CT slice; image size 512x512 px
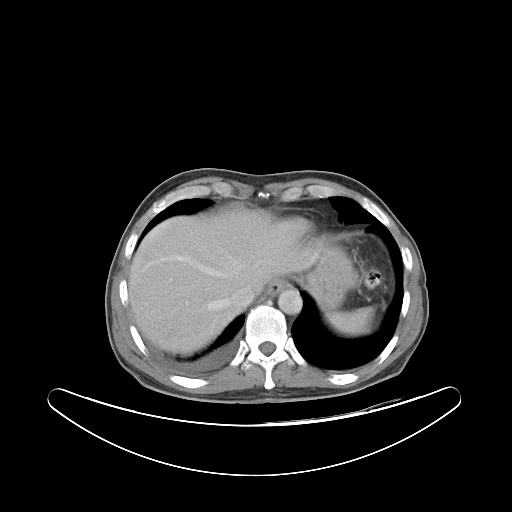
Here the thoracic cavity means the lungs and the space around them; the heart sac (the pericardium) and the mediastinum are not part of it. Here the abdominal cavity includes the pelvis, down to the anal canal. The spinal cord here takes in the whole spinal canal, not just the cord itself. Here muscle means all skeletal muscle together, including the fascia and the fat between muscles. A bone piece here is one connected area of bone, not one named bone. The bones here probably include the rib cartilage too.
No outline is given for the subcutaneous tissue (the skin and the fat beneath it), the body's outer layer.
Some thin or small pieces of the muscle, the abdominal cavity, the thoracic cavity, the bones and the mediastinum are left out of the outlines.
The muscle appears in 3 outlined pieces: piece 1: 147 210; 151 219; 140 234; 133 232; 126 241; 127 277; 118 283; 120 301; 128 307; 133 321; 128 328; 134 343; 144 355; 148 352; 176 374; 170 374; 168 378; 180 386; 193 389; 209 383; 203 377; 185 376; 203 376; 227 364; 230 367; 240 365; 242 370; 246 370; 254 363; 264 369; 264 388; 217 393; 186 392; 159 382; 128 363; 119 352; 112 331; 113 277; 125 239; piece 2: 381 208; 408 239; 417 257; 420 273; 419 285; 421 288; 422 296; 423 318; 415 339; 411 345; 388 366; 370 378; 353 386; 345 388; 281 387; 271 390; 275 386; 272 378; 272 370; 274 366; 280 362; 286 361; 289 365; 297 364; 305 367; 308 363; 311 364; 318 367; 324 372; 333 373; 331 373; 326 378; 330 383; 335 385; 345 385; 352 383; 359 378; 359 375; 357 373; 349 372; 361 368; 374 359; 377 365; 381 364; 394 349; 398 341; 398 335; 395 331; 399 317; 404 317; 407 314; 410 305; 410 292; 404 287; 404 270; 409 272; 412 269; 413 260; 409 248; 405 245; 398 245; 389 230; 391 227; 390 219; piece 3: 206 176; 218 176; 232 179; 256 187; 261 187; 268 183; 286 182; 301 178; 320 178; 338 183; 363 195; 358 195; 352 198; 343 195; 344 192; 341 189; 330 185; 317 183; 308 184; 304 187; 298 185; 288 187; 281 192; 280 200; 269 198; 271 194; 268 191; 265 192; 261 190; 256 193; 257 197; 233 197; 234 189; 232 185; 226 181; 216 181; 211 185; 192 184; 171 190; 182 183. The pericardium is outlined by 284 206; 286 207; 295 207; 296 208; 301 208; 302 207; 313 207; 323 212; 325 214; 327 221; 325 224; 303 235; 300 235; 299 236; 292 236; 288 233; 287 231; 286 231; 286 230; 281 225; 277 218; 269 210; 269 207; 283 207. The bones appear in 12 outlined pieces: piece 1: 260 304; 270 305; 284 315; 287 332; 307 362; 305 366; 289 364; 286 360; 276 363; 271 370; 274 386; 270 389; 264 387; 266 372; 258 363; 252 362; 246 369; 242 369; 240 364; 229 365; 244 337; 244 323; 248 312 with a hole at 264 342; 271 342; 272 343; 273 343; 275 345; 275 349; 270 354; 269 354; 268 355; 266 355; 264 353; 263 353; 260 350; 260 349; 259 348; 259 346; 262 343; 263 343; piece 2: 216 182; 226 182; 231 185; 233 189; 232 191; 233 196; 232 197; 224 197; 217 193; 211 192; 209 195; 203 197; 193 197; 192 198; 180 199; 172 203; 151 218; 148 210; 156 200; 159 200; 168 192; 192 185; 211 186; 212 184; piece 3: 312 184; 325 185; 333 187; 336 189; 341 190; 343 192; 342 195; 334 195; 329 197; 320 197; 319 198; 318 197; 313 197; 305 191; 297 200; 292 201; 282 201; 281 200; 281 194; 286 189; 294 186; 304 188; 306 186; piece 4: 358 196; 359 197; 360 196; 365 196; 372 202; 377 205; 388 217; 389 219; 389 222; 390 223; 390 227; 389 228; 386 227; 377 218; 376 218; 372 214; 371 214; 363 207; 362 207; 360 205; 360 204; 354 199; 355 197; 357 197; piece 5: 170 375; 179 375; 180 376; 184 376; 185 377; 189 377; 190 378; 203 378; 207 380; 208 381; 208 383; 202 386; 200 386; 199 387; 194 387; 193 388; 191 388; 190 387; 186 387; 185 386; 180 385; 172 381; 169 378; piece 6: 334 373; 336 373; 337 374; 344 374; 345 373; 355 373; 358 375; 358 378; 356 380; 355 380; 352 382; 350 382; 349 383; 346 383; 345 384; 335 384; 334 383; 332 383; 331 382; 330 382; 327 379; 327 378; 331 374; 333 374; piece 7: 395 333; 397 335; 397 341; 396 342; 393 349; 390 352; 390 353; 387 356; 387 357; 381 363; 380 363; 379 364; 377 364; 376 363; 376 361; 375 360; 376 357; 383 350; 383 349; 386 346; 386 345; 389 342; 389 341; piece 8: 130 325; 134 325; 135 326; 135 327; 136 328; 136 329; 137 330; 143 343; 147 348; 147 354; 146 355; 145 354; 144 354; 139 349; 139 348; 135 343; 135 342; 132 337; 132 335; 131 334; 131 332; 130 331; 130 329; 129 328; piece 9: 133 233; 136 233; 137 234; 138 234; 139 235; 139 237; 136 242; 135 247; 131 254; 131 257; 129 259; 127 259; 125 256; 125 247; 126 246; 126 244; 127 243; 127 241; 128 240; 129 237; 131 235; 131 234; 132 234; piece 10: 400 246; 405 246; 406 247; 407 247; 411 254; 411 259; 412 260; 412 266; 411 267; 411 269; 409 271; 408 270; 406 270; 405 269; 404 269; 404 265; 403 264; 403 261; 402 260; 402 256; 401 255; 401 251; 399 248; 399 247; piece 11: 123 279; 124 279; 126 281; 126 283; 127 284; 127 305; 126 305; 125 306; 124 305; 123 305; 123 304; 122 303; 122 302; 121 301; 121 299; 120 298; 120 296; 119 295; 119 283; 120 282; 120 281; 121 280; 122 280; piece 12: 404 288; 405 289; 406 289; 409 292; 409 305; 408 306; 408 308; 407 309; 407 311; 406 312; 406 314; 404 316; 399 316; 400 315; 400 311; 401 310; 401 306; 402 305; 402 301; 403 300; 403 294; 404 293. The mediastinum appears in 2 outlined pieces: piece 1: 274 284; 291 284; 293 286; 297 286; 301 290; 300 294; 302 298; 302 307; 299 314; 295 318; 289 329; 288 329; 288 325; 285 315; 278 308; 267 303; 260 303; 255 305; 258 300; 260 299; 262 294; 268 288; 273 286; piece 2: 249 197; 272 199; 282 202; 292 202; 298 200; 305 200; 314 198; 319 199; 320 198; 328 198; 332 206; 337 211; 337 218; 340 223; 330 223; 327 219; 326 214; 323 211; 313 206; 296 207; 284 205; 283 206; 262 207; 246 199. The torso is outlined by 195 168; 224 168; 253 174; 324 170; 354 178; 376 193; 413 237; 426 274; 428 322; 419 344; 402 371; 394 377; 346 395; 262 404; 210 403; 173 397; 142 386; 126 371; 113 354; 105 322; 105 285; 114 252; 143 198; 167 178. The thoracic cavity appears in 3 outlined pieces: piece 1: 334 196; 353 199; 387 228; 403 265; 394 333; 375 358; 344 373; 309 363; 288 332; 303 307; 301 292; 309 298; 315 324; 324 334; 359 340; 381 332; 388 323; 398 294; 398 276; 388 244; 367 230; 369 223; 340 221; 329 198; piece 2: 240 316; 244 317; 243 337; 239 340; 237 350; 230 361; 223 367; 215 371; 206 373; 203 375; 177 374; 174 373; 165 365; 157 361; 148 351; 158 351; 171 355; 201 355; 206 349; 213 343; 215 343; 222 335; 226 328; 236 318; piece 3: 193 198; 207 198; 211 202; 209 204; 204 207; 202 207; 200 209; 198 209; 196 211; 188 212; 187 213; 186 212; 185 213; 175 213; 165 217; 160 221; 158 221; 157 223; 152 226; 140 237; 147 224; 160 212; 180 200; 192 199. The spinal cord is outlined by 264 342; 271 342; 272 343; 273 343; 275 345; 275 349; 270 354; 269 354; 268 355; 266 355; 264 353; 263 353; 260 350; 260 349; 259 348; 259 346; 262 343; 263 343. The abdominal cavity is outlined by 208 196; 245 199; 268 208; 292 237; 327 222; 367 226; 387 244; 397 276; 397 294; 383 329; 359 339; 334 338; 316 324; 305 292; 291 283; 274 283; 201 354; 148 350; 128 306; 130 259; 138 240; 158 222; 204 208; 212 202.